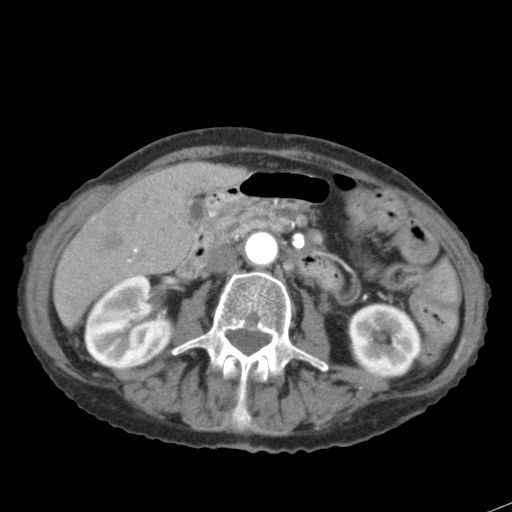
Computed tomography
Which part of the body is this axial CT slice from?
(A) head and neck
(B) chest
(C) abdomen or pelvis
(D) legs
(C) abdomen or pelvis
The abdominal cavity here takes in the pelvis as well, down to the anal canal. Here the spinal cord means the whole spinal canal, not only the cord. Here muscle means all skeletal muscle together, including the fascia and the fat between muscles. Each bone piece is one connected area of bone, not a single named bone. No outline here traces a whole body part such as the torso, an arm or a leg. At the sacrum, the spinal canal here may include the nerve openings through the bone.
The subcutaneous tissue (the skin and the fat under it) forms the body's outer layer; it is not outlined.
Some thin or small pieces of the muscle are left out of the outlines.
The abdominal cavity is outlined by 243,153 345,173 405,201 463,286 463,329 440,372 400,385 330,361 324,316 304,289 293,342 288,288 261,270 229,277 211,325 212,284 184,297 173,347 142,367 111,374 72,361 50,287 82,222 146,176. The bones are outlined by 250,271 267,272 285,285 293,305 290,340 328,369 293,358 284,367 281,384 270,377 256,381 250,372 244,403 251,419 240,430 231,415 239,375 208,373 204,348 177,355 171,350 205,333 226,282 235,273 with a hole at 243,328 245,328 251,331 253,331 254,330 258,330 261,332 267,333 271,336 271,339 267,344 262,346 258,350 250,354 246,354 242,352 238,348 233,345 226,336 226,332 228,330 236,330 237,329 242,329. The muscle appears in 2 outlined pieces: piece 1: 199,145 253,146 261,148 276,148 277,149 279,148 297,148 322,154 347,163 379,179 381,179 387,183 409,192 433,208 452,226 465,242 473,258 476,261 477,265 479,267 485,288 485,303 484,304 484,315 483,316 481,338 479,340 476,349 468,362 461,368 451,381 434,393 431,393 428,395 419,395 412,397 372,402 354,412 352,414 351,418 348,421 341,424 335,424 326,432 297,434 286,436 267,436 260,434 246,435 241,433 239,434 228,433 224,431 218,431 217,432 195,431 190,429 180,428 176,426 171,426 165,423 161,423 154,417 144,413 141,410 134,408 121,396 116,394 113,390 84,383 76,378 64,373 59,368 56,367 54,365 53,359 40,348 36,343 33,336 30,333 25,314 24,283 27,275 28,263 31,258 32,249 40,233 64,206 67,205 87,188 102,183 115,183 126,178 153,160 167,153 182,148 with a hole at 243,153 405,201 463,286 463,329 440,372 400,385 330,361 304,289 293,344 328,369 293,358 281,384 250,372 242,430 231,415 239,375 208,373 204,348 170,347 114,374 72,361 50,287 82,222 146,176; piece 2: 206,282 209,282 211,284 211,287 209,290 209,296 207,298 206,307 205,308 205,314 208,319 210,327 205,332 197,336 192,337 174,346 174,331 178,312 180,308 180,304 184,298 188,298 191,296 195,290. The spinal cord is outlined by 243,328 245,328 251,331 253,331 254,330 258,330 261,332 267,333 271,336 271,339 267,344 262,346 258,350 250,354 246,354 242,352 238,348 233,345 226,336 226,332 228,330 236,330 237,329 242,329.